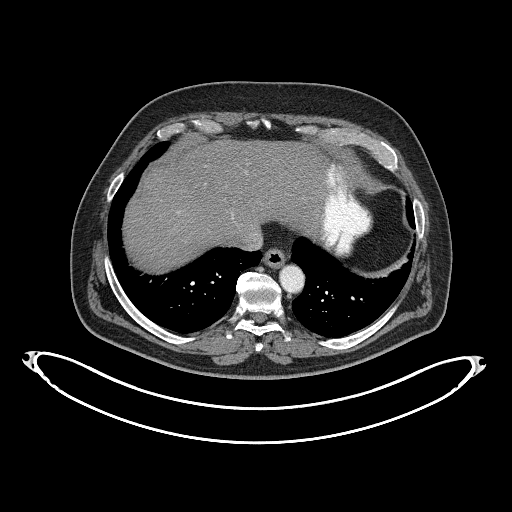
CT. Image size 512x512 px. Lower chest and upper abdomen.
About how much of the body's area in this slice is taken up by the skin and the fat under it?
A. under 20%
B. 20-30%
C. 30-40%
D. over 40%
Answer: B. 20-30%
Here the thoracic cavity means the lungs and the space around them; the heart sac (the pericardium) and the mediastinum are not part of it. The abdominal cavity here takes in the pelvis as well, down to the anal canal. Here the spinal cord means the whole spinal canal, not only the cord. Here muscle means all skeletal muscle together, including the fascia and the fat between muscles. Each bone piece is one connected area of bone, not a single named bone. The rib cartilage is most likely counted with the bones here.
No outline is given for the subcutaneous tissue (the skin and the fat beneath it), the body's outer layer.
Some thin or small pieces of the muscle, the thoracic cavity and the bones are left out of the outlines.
{"spinal_cord":[[[257,324],[261,324],[262,323],[263,323],[264,322],[265,322],[267,320],[267,315],[266,315],[264,313],[262,313],[261,312],[254,312],[253,313],[252,313],[251,314],[251,317],[254,320],[254,321],[255,322],[255,323],[256,323]]],"abdominal_cavity":[[[364,277],[385,276],[407,259],[415,241],[405,213],[407,194],[375,179],[351,149],[316,136],[263,126],[253,130],[247,125],[174,135],[145,168],[124,210],[122,247],[128,264],[141,274],[165,274],[218,246],[261,249],[260,228],[275,223],[308,238]]],"bones":[{"outer":[[284,341],[291,340],[291,333],[284,329],[278,321],[284,321],[286,319],[280,287],[265,273],[254,271],[241,273],[236,284],[238,300],[232,312],[227,317],[227,320],[236,322],[233,327],[234,330],[243,329],[258,336],[268,331],[279,331],[283,335]],"hole":[[257,324],[261,324],[262,323],[263,323],[264,322],[265,322],[267,320],[267,315],[266,315],[264,313],[262,313],[261,312],[254,312],[253,313],[252,313],[251,314],[251,317],[254,320],[254,321],[255,322],[255,323],[256,323]]},[[393,173],[398,169],[398,160],[394,150],[387,143],[377,140],[364,132],[349,127],[320,127],[316,125],[304,125],[297,126],[294,128],[295,131],[310,135],[316,135],[320,139],[327,142],[336,144],[352,143],[364,147],[371,152],[373,157],[380,165]],[[175,344],[181,344],[192,341],[195,339],[195,337],[194,336],[184,336],[170,332],[157,325],[142,314],[130,301],[123,291],[116,277],[109,257],[108,255],[105,255],[103,258],[103,261],[108,282],[113,293],[122,307],[142,327],[158,337],[168,342]],[[334,349],[342,349],[343,348],[350,347],[353,345],[355,345],[371,335],[379,329],[391,317],[396,310],[399,304],[399,302],[391,306],[378,319],[370,325],[353,334],[342,338],[328,338],[327,339],[322,339],[320,338],[318,340],[318,343],[319,344]],[[416,241],[418,240],[421,240],[423,237],[423,232],[424,231],[424,214],[423,213],[423,207],[422,206],[422,204],[421,202],[416,197],[413,197],[412,199],[412,205],[413,206],[413,213],[414,214],[414,219],[415,220],[415,233],[416,234]],[[159,140],[165,140],[174,134],[176,134],[177,133],[179,133],[180,132],[184,131],[184,130],[187,127],[187,124],[184,122],[175,122],[174,123],[172,123],[169,125],[167,125],[164,127],[160,128],[158,130],[157,130],[156,132],[156,136]],[[203,131],[220,131],[222,130],[223,128],[222,126],[219,123],[217,123],[209,119],[206,119],[203,117],[200,119],[192,119],[190,121],[190,124],[194,128],[196,129],[199,129]],[[109,203],[111,202],[115,193],[117,191],[119,186],[121,184],[125,176],[125,173],[123,171],[120,172],[112,180],[112,181],[109,185],[109,187],[108,188],[108,191],[106,195],[106,200],[107,202]],[[269,130],[271,129],[272,127],[272,123],[268,119],[264,117],[261,117],[258,119],[255,119],[254,120],[247,120],[246,121],[246,123],[251,128],[253,129],[255,129],[257,128],[258,126],[261,123],[266,128],[266,129],[268,129]]],"muscle":[{"outer":[[219,365],[228,365],[229,364],[239,363],[245,360],[251,354],[254,353],[261,353],[274,362],[281,364],[287,364],[288,363],[297,362],[304,359],[315,358],[317,356],[334,355],[335,354],[350,352],[368,344],[399,324],[409,319],[417,318],[425,315],[431,309],[433,300],[432,299],[432,289],[430,281],[430,256],[428,253],[429,252],[429,232],[430,231],[428,203],[425,199],[411,171],[405,163],[403,156],[399,150],[385,137],[377,132],[360,124],[341,118],[327,117],[321,115],[305,115],[304,114],[273,113],[272,112],[245,112],[244,111],[239,111],[238,112],[234,111],[198,111],[197,112],[189,112],[185,114],[169,118],[165,121],[160,122],[155,125],[137,143],[128,156],[116,168],[113,173],[108,178],[108,180],[103,190],[102,197],[100,200],[97,228],[92,248],[92,261],[91,262],[89,276],[87,280],[87,299],[90,308],[97,316],[107,321],[127,328],[149,341],[151,341],[156,344],[171,349],[174,351],[192,354],[197,357],[205,359],[207,361]],"holes":[[[334,349],[355,345],[391,317],[399,304],[391,304],[411,266],[414,242],[423,237],[422,204],[416,197],[410,199],[393,174],[398,169],[398,160],[391,146],[349,127],[304,125],[280,130],[264,117],[227,129],[203,117],[190,121],[196,129],[190,132],[184,131],[187,127],[184,122],[157,130],[159,141],[126,175],[122,171],[112,180],[106,195],[111,206],[109,254],[103,258],[104,267],[110,287],[126,312],[148,331],[175,344],[194,340],[194,336],[186,334],[209,326],[230,310],[227,320],[236,322],[234,330],[243,329],[258,336],[276,330],[284,341],[289,341],[291,333],[278,321],[286,319],[284,307],[288,306],[290,314],[302,325],[325,338],[320,338],[319,344]],[[257,352],[258,352],[262,348],[262,343],[261,342],[257,342],[255,344],[255,349],[256,350],[256,351]],[[228,339],[230,339],[231,338],[232,338],[232,333],[231,332],[231,331],[230,331],[229,330],[226,330],[226,332],[225,333],[225,336],[226,337],[226,338],[227,338]]]},[[370,154],[370,152],[369,151],[359,146],[356,146],[352,144],[346,144],[345,145],[341,145],[345,145],[348,147],[355,147],[359,149],[362,149],[363,150],[365,150],[367,151]]],"mediastinum":[[[289,307],[291,301],[302,291],[305,283],[305,276],[302,270],[291,260],[291,247],[297,236],[290,230],[278,225],[265,225],[261,228],[264,244],[262,249],[259,250],[262,253],[260,262],[257,266],[241,272],[254,270],[269,274],[281,287],[283,303]],[[406,194],[407,193],[405,191],[405,189],[399,182],[397,178],[392,173],[380,166],[371,155],[367,152],[362,150],[359,150],[355,148],[349,148],[352,149],[353,152],[355,154],[355,156],[360,160],[362,164],[375,178],[389,185],[394,185],[398,187]]],"torso":[[[232,379],[285,379],[342,369],[427,334],[441,322],[452,267],[445,202],[416,134],[398,111],[377,97],[345,86],[304,81],[225,80],[180,87],[151,99],[134,113],[90,179],[75,214],[70,240],[70,287],[80,321],[100,339],[147,359],[182,371]]],"thoracic_cavity":[[[184,335],[209,326],[232,310],[237,300],[238,275],[257,265],[261,253],[218,247],[182,268],[159,276],[141,275],[127,264],[120,237],[123,210],[144,168],[168,146],[166,140],[146,151],[126,175],[111,203],[109,256],[124,291],[136,307],[162,327]],[[325,338],[342,337],[353,333],[370,324],[391,305],[407,278],[414,243],[408,259],[399,269],[385,277],[364,278],[347,270],[338,260],[308,239],[304,237],[295,239],[292,260],[303,270],[306,283],[303,291],[292,301],[289,308],[290,314],[306,328]]]}